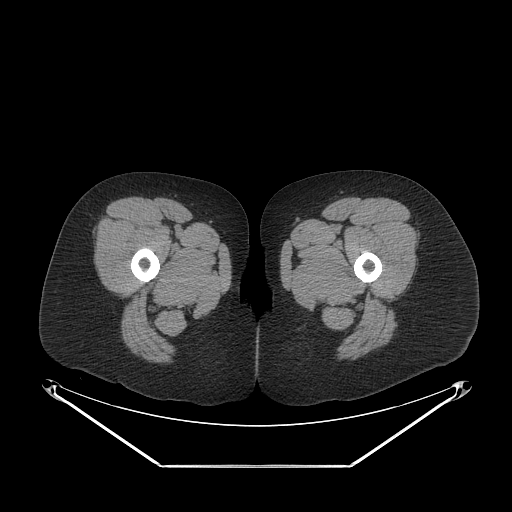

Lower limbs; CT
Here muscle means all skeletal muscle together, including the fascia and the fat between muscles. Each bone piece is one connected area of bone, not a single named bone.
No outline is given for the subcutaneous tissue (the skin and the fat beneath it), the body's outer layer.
The muscle appears in 2 outlined pieces: piece 1: (353, 195) (388, 197) (408, 207) (415, 216) (420, 232) (419, 258) (412, 282) (395, 310) (398, 322) (395, 336) (387, 345) (377, 351) (370, 352) (352, 361) (337, 362) (332, 359) (336, 344) (313, 327) (283, 292) (279, 274) (279, 258) (283, 242) (297, 223) (332, 201), around a hole outlined by (364, 250) (367, 250) (368, 251) (370, 251) (374, 253) (376, 255) (377, 255) (379, 257) (381, 261) (381, 263) (382, 264) (382, 271) (380, 275) (375, 280) (371, 282) (363, 282) (355, 275) (354, 271) (353, 270) (353, 263) (356, 257) (358, 256) (361, 253) (361, 252); piece 2: (138, 194) (163, 196) (179, 201) (201, 221) (215, 229) (230, 254) (232, 268) (230, 288) (212, 315) (182, 347) (176, 361) (168, 365) (144, 361) (131, 353) (125, 346) (120, 334) (121, 311) (119, 305) (113, 295) (100, 282) (93, 263) (92, 229) (105, 207) (118, 198), around a hole outlined by (142, 247) (148, 247) (150, 248) (158, 257) (158, 259) (160, 262) (160, 268) (159, 269) (158, 273) (154, 278) (151, 279) (147, 282) (142, 282) (136, 277) (135, 277) (135, 276) (132, 273) (131, 269) (130, 268) (130, 261) (133, 254) (139, 248) (141, 248). The right leg is outlined by (130, 171) (160, 171) (207, 180) (227, 189) (242, 205) (249, 224) (249, 256) (240, 288) (241, 295) (246, 297) (257, 316) (255, 386) (246, 399) (216, 405) (153, 399) (119, 383) (64, 367) (43, 349) (38, 335) (39, 304) (61, 226) (72, 206) (90, 187) (105, 178). The bones appear in 2 outlined pieces: piece 1: (142, 247) (148, 247) (150, 248) (158, 257) (158, 259) (160, 262) (160, 268) (159, 269) (158, 273) (154, 278) (151, 279) (147, 282) (142, 282) (136, 277) (135, 277) (135, 276) (132, 273) (131, 269) (130, 268) (130, 261) (133, 254) (139, 248) (141, 248); piece 2: (364, 250) (367, 250) (368, 251) (370, 251) (374, 253) (376, 255) (377, 255) (379, 257) (381, 261) (381, 263) (382, 264) (382, 271) (380, 275) (375, 280) (371, 282) (363, 282) (355, 275) (354, 271) (353, 270) (353, 263) (356, 257) (358, 256) (361, 253) (361, 252). The left leg is outlined by (349, 169) (382, 170) (406, 176) (428, 189) (441, 202) (461, 233) (476, 265) (480, 300) (478, 324) (464, 353) (447, 365) (351, 401) (333, 400) (306, 406) (283, 405) (268, 399) (256, 385) (258, 317) (270, 303) (259, 236) (261, 215) (271, 196) (283, 186) (314, 174).